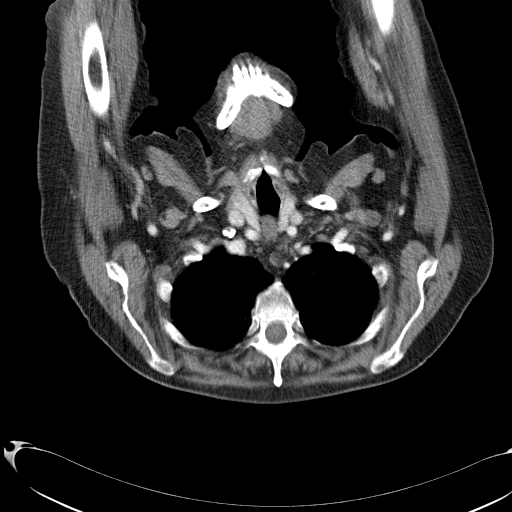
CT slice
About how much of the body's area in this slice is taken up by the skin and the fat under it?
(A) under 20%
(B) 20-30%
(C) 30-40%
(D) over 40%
Answer: (B) 20-30%
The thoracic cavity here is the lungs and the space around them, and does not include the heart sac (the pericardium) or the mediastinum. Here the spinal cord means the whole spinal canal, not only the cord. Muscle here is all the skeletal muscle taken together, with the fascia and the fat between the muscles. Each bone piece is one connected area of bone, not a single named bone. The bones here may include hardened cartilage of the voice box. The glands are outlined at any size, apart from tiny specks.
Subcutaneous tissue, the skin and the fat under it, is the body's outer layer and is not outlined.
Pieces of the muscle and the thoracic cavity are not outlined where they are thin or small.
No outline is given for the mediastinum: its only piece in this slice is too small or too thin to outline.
{"muscle":[{"outer":[[57,0],[131,1],[138,63],[125,141],[132,162],[143,161],[146,147],[155,146],[194,176],[217,168],[219,147],[206,123],[231,69],[232,82],[214,119],[218,131],[250,96],[268,99],[288,108],[289,156],[313,184],[370,152],[386,173],[376,195],[387,200],[402,188],[407,145],[396,118],[366,100],[353,71],[346,3],[369,0],[385,37],[395,29],[396,0],[410,0],[463,253],[446,299],[404,356],[402,341],[424,308],[424,284],[439,263],[428,257],[415,274],[418,303],[395,340],[371,359],[372,377],[280,387],[283,360],[297,345],[358,346],[379,332],[389,306],[373,316],[390,268],[384,261],[370,267],[353,243],[322,241],[287,197],[281,172],[264,151],[260,164],[242,174],[243,194],[233,199],[217,244],[184,253],[183,271],[173,283],[160,277],[155,292],[170,304],[171,320],[158,319],[172,341],[193,350],[252,347],[270,360],[275,387],[213,388],[167,376],[176,368],[131,313],[128,274],[112,259],[104,263],[106,274],[120,286],[121,309],[148,349],[144,360],[87,286],[74,249]],"holes":[[[94,18],[97,20],[102,34],[103,44],[107,61],[108,75],[110,80],[109,109],[108,110],[108,114],[104,119],[98,118],[92,112],[89,107],[89,103],[85,91],[83,75],[82,74],[82,62],[81,61],[82,35],[84,31],[85,24]],[[319,193],[324,193],[327,195],[329,195],[331,196],[335,200],[336,202],[336,204],[337,205],[336,208],[332,210],[326,210],[325,209],[320,209],[319,208],[316,208],[315,207],[313,207],[307,204],[305,202],[305,200],[306,199],[316,194],[318,194]],[[207,195],[208,196],[211,196],[216,199],[218,199],[220,200],[221,202],[217,206],[209,210],[207,210],[206,211],[201,211],[200,212],[199,211],[195,211],[192,207],[192,205],[193,203],[198,198],[202,196],[206,196]]]},[[251,62],[256,62],[259,64],[261,64],[273,70],[276,73],[279,74],[286,81],[287,81],[289,83],[290,85],[290,87],[291,88],[291,92],[277,79],[272,77],[267,71],[265,71],[263,72],[262,71],[262,68],[258,64],[255,64],[254,65]]],"left_arm":[[[329,0],[422,0],[476,160],[492,221],[494,251],[479,241],[469,241],[450,253],[444,253],[430,246],[421,235],[407,196],[401,155],[395,148],[396,139],[381,127],[358,122],[349,111],[353,88],[350,81],[343,75],[337,59],[335,25],[338,15]]],"bones":[{"outer":[[275,278],[280,279],[289,292],[309,340],[315,339],[321,343],[317,345],[311,341],[309,347],[297,344],[284,357],[281,363],[282,383],[279,387],[273,383],[274,370],[272,362],[267,356],[252,346],[244,348],[235,345],[246,335],[257,294],[271,284]],"hole":[[276,323],[279,323],[283,326],[283,327],[285,330],[285,335],[282,339],[282,340],[281,340],[277,343],[273,343],[268,340],[268,339],[266,336],[266,330],[267,329],[267,328],[270,325],[271,325],[272,324],[275,324]]},[[247,60],[254,66],[258,65],[263,73],[267,72],[285,87],[292,94],[294,102],[287,107],[263,96],[250,95],[242,102],[234,120],[224,129],[218,130],[215,127],[215,119],[226,97],[226,87],[233,82],[231,78],[232,64],[242,61],[246,65]],[[94,18],[97,20],[102,34],[103,44],[107,61],[108,75],[110,80],[109,109],[108,110],[108,114],[104,119],[98,118],[92,112],[89,107],[89,103],[85,91],[83,75],[82,74],[82,62],[81,61],[82,35],[84,31],[85,24]],[[428,258],[436,258],[438,260],[436,271],[431,277],[428,277],[424,281],[423,308],[405,333],[400,344],[400,349],[404,354],[403,357],[395,365],[380,373],[375,374],[370,370],[372,359],[386,350],[396,340],[419,303],[420,295],[416,274],[420,263]],[[109,260],[115,261],[119,264],[127,274],[128,309],[155,351],[162,358],[169,361],[173,365],[175,371],[172,375],[162,374],[154,370],[147,363],[147,359],[150,357],[149,349],[122,309],[124,297],[122,288],[118,282],[112,280],[107,274],[105,263]],[[370,0],[395,0],[395,3],[394,4],[394,7],[395,8],[395,18],[394,19],[394,22],[393,23],[394,25],[394,29],[388,35],[384,36],[382,35],[382,34],[379,31],[378,29],[378,26],[376,22],[376,20],[374,17],[373,12],[371,9]],[[385,306],[388,306],[388,310],[386,314],[386,317],[384,321],[382,323],[381,327],[378,332],[368,341],[366,341],[358,345],[350,345],[349,343],[355,340],[363,332],[363,331],[369,324],[372,318],[374,317],[375,315]],[[264,152],[267,155],[267,160],[266,161],[268,163],[275,166],[279,170],[280,175],[279,176],[276,176],[273,174],[269,174],[263,169],[260,174],[252,181],[243,182],[242,181],[243,174],[248,168],[250,167],[256,167],[261,164],[258,158],[259,156]],[[160,317],[163,317],[170,321],[179,330],[179,331],[181,332],[185,338],[191,344],[193,344],[198,347],[195,349],[193,349],[192,348],[187,348],[178,344],[172,340],[163,329],[162,327],[162,324],[160,322],[160,320],[159,319]],[[319,193],[324,193],[327,195],[329,195],[331,196],[335,200],[336,202],[336,204],[337,205],[336,208],[332,210],[326,210],[325,209],[320,209],[319,208],[316,208],[315,207],[313,207],[307,204],[305,202],[305,200],[306,199],[316,194],[318,194]],[[381,262],[384,262],[387,265],[387,266],[389,268],[389,274],[388,275],[387,280],[386,281],[386,282],[384,284],[384,285],[382,287],[379,288],[378,287],[378,284],[377,283],[375,278],[372,275],[372,274],[371,273],[371,267],[374,264],[378,264]],[[207,195],[208,196],[211,196],[216,199],[218,199],[220,200],[221,202],[217,206],[209,210],[207,210],[206,211],[201,211],[200,212],[199,211],[195,211],[192,207],[192,205],[193,203],[198,198],[202,196],[206,196]],[[160,278],[163,278],[164,279],[166,279],[167,280],[168,280],[172,284],[172,291],[171,292],[171,296],[170,297],[170,301],[168,303],[167,303],[166,302],[163,301],[161,299],[161,298],[157,294],[157,293],[156,292],[156,284],[157,283],[158,280]],[[190,251],[194,251],[195,252],[207,252],[209,251],[207,253],[205,253],[203,255],[202,257],[202,259],[201,260],[199,261],[195,261],[194,262],[192,262],[189,265],[187,266],[185,266],[184,265],[183,263],[183,260],[182,259],[182,257],[184,254]],[[339,241],[342,243],[343,243],[344,242],[347,242],[348,243],[350,243],[351,244],[353,244],[355,247],[355,252],[354,253],[354,254],[352,254],[351,253],[350,253],[347,251],[337,251],[334,248],[334,247],[330,243],[336,243]]],"thyroid_glands":[[[238,194],[242,194],[244,196],[244,197],[246,198],[249,201],[249,203],[251,207],[255,212],[255,215],[256,216],[256,224],[254,226],[252,225],[250,225],[244,218],[244,217],[242,215],[240,211],[235,207],[232,206],[232,203],[234,199]],[[287,199],[288,199],[289,201],[291,202],[293,206],[293,213],[291,217],[289,219],[287,223],[287,225],[286,227],[284,228],[282,226],[282,224],[281,223],[281,213],[282,212],[282,206],[284,204],[284,203]]],"torso":[[[179,125],[212,159],[236,247],[261,233],[299,240],[320,141],[332,152],[364,133],[399,153],[424,241],[444,254],[483,244],[489,276],[433,355],[389,383],[270,405],[152,382],[90,330],[59,282],[122,228],[124,143],[154,130],[175,138]]],"right_arm":[[[56,0],[139,0],[138,9],[146,29],[142,51],[149,70],[149,90],[158,99],[156,105],[146,107],[134,121],[130,136],[120,150],[117,209],[121,217],[121,228],[118,234],[59,281],[42,250],[40,197],[36,178],[40,77],[46,36],[44,13]]],"spinal_cord":[[[276,323],[279,323],[283,326],[283,327],[285,330],[285,335],[282,339],[282,340],[281,340],[277,343],[273,343],[268,340],[268,339],[266,336],[266,330],[267,329],[267,328],[270,325],[271,325],[272,324],[275,324]]],"thoracic_cavity":[[[263,170],[278,178],[287,198],[280,213],[284,229],[293,204],[322,242],[370,268],[377,303],[355,339],[326,344],[310,338],[276,276],[256,294],[245,335],[230,347],[191,343],[171,321],[174,282],[218,244],[229,210],[257,224],[244,192]]],"head_and_neck":[[[244,51],[258,54],[275,64],[295,82],[299,98],[291,106],[306,129],[297,157],[305,154],[312,141],[320,140],[305,187],[312,221],[295,241],[284,241],[261,232],[240,246],[234,244],[229,205],[210,146],[191,117],[214,88],[218,74],[236,54]]]}